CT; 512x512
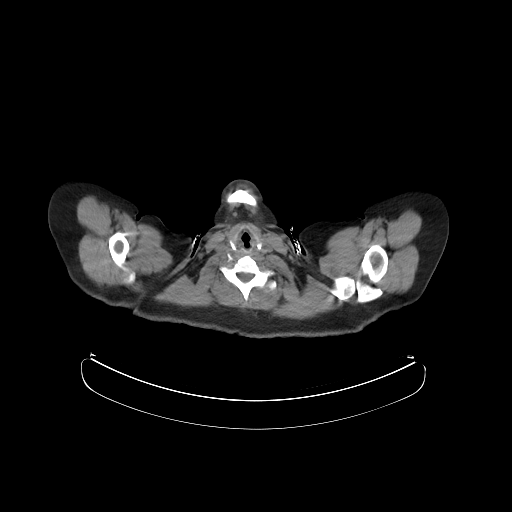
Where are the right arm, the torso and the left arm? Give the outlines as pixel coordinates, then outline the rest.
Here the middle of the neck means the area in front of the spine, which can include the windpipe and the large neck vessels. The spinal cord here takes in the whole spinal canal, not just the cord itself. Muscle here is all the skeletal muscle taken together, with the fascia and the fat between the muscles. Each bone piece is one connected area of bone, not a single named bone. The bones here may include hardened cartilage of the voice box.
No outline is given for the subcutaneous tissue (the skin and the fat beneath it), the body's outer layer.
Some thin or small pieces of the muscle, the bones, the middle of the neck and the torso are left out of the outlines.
The right arm is outlined by [[75,177],[93,179],[127,197],[137,205],[139,209],[138,218],[146,214],[154,214],[173,230],[183,230],[193,236],[187,252],[174,269],[142,292],[135,299],[129,311],[120,307],[107,306],[80,291],[68,276],[50,233],[47,221],[48,199],[57,186]]. The torso appears in 2 outlined pieces: piece 1: [[296,236],[296,244],[301,256],[320,275],[334,280],[343,280],[357,283],[366,289],[396,301],[403,308],[387,313],[360,332],[353,334],[330,337],[251,338],[264,334],[273,329],[285,317],[295,300],[297,290],[297,262],[293,241],[290,237],[292,238]]; piece 2: [[197,234],[200,235],[194,244],[191,258],[191,304],[194,314],[206,326],[213,330],[200,329],[191,327],[185,324],[153,322],[142,318],[134,317],[130,313],[130,311],[136,299],[160,279],[169,275],[175,269],[188,252],[191,244],[193,242],[194,237]]. The left arm is outlined by [[409,189],[425,189],[433,192],[444,202],[449,215],[449,234],[444,251],[423,294],[412,304],[404,307],[396,300],[366,288],[357,282],[324,276],[302,256],[298,248],[297,237],[299,232],[307,225],[319,220],[341,220],[350,216],[361,217],[370,204]]. The muscle appears in 2 outlined pieces: piece 1: [[240,183],[258,197],[265,215],[263,224],[280,234],[295,257],[330,285],[319,270],[318,259],[331,235],[412,207],[421,215],[422,224],[417,236],[418,268],[411,287],[379,299],[383,290],[377,285],[387,273],[389,258],[382,245],[372,243],[363,253],[356,277],[335,276],[328,289],[340,302],[356,295],[361,306],[348,305],[298,320],[246,314],[236,308],[181,307],[154,301],[197,256],[207,238],[227,226],[224,198]] with holes at [[242,225],[251,228],[270,246],[271,252],[251,256],[261,269],[272,270],[274,274],[268,279],[276,281],[272,290],[266,285],[253,287],[246,302],[240,290],[219,269],[221,266],[230,267],[241,256],[231,253],[232,259],[228,261],[229,251],[214,250]] and at [[236,189],[245,189],[247,190],[251,194],[255,196],[256,198],[256,200],[257,201],[257,204],[256,206],[253,206],[247,203],[242,203],[241,202],[233,202],[232,203],[228,203],[226,201],[226,196],[229,193],[231,193],[233,192]]; piece 2: [[89,194],[103,201],[115,204],[122,211],[128,213],[136,222],[151,225],[163,235],[167,249],[174,258],[174,265],[161,278],[147,285],[141,293],[122,289],[104,291],[92,282],[83,272],[78,258],[78,238],[80,233],[76,218],[76,204],[81,197]] with holes at [[116,231],[120,231],[122,233],[123,233],[126,237],[128,241],[128,243],[129,244],[129,253],[126,257],[126,259],[124,262],[124,267],[122,269],[122,270],[114,263],[111,257],[111,255],[109,251],[109,246],[108,245],[108,239],[109,237]] and at [[131,271],[133,271],[136,274],[136,279],[135,280],[135,282],[134,283],[133,283],[132,284],[131,284],[130,285],[126,285],[124,283],[123,283],[123,279],[124,279],[128,275],[128,274]]. The bones appear in 5 outlined pieces: piece 1: [[372,244],[379,244],[387,253],[388,260],[386,273],[376,285],[382,290],[382,294],[378,298],[365,303],[358,303],[356,300],[356,294],[347,300],[340,301],[329,291],[329,289],[333,287],[333,278],[349,276],[355,279],[360,269],[360,263],[364,253]]; piece 2: [[244,255],[251,256],[261,269],[272,270],[274,274],[268,279],[273,279],[276,281],[276,286],[272,290],[269,289],[266,285],[263,287],[253,287],[249,292],[248,299],[246,302],[240,290],[235,285],[229,282],[219,269],[221,266],[230,267],[238,258]]; inner edge: [[241,272],[242,272],[243,273],[250,273],[251,274],[252,274],[253,275],[253,276],[249,280],[248,280],[247,281],[243,281],[242,280],[241,280],[238,277],[238,276],[237,275],[237,273],[240,273]]; piece 3: [[116,231],[120,231],[122,233],[123,233],[126,237],[128,241],[128,243],[129,244],[129,253],[126,257],[126,259],[124,262],[124,267],[122,269],[122,270],[114,263],[111,257],[111,255],[109,251],[109,246],[108,245],[108,239],[109,237]]; piece 4: [[236,189],[245,189],[247,190],[251,194],[255,196],[256,198],[256,200],[257,201],[257,204],[256,206],[253,206],[247,203],[242,203],[241,202],[233,202],[232,203],[228,203],[226,201],[226,196],[229,193],[231,193],[233,192]]; piece 5: [[131,271],[133,271],[136,274],[136,279],[135,280],[135,282],[134,283],[133,283],[132,284],[131,284],[130,285],[126,285],[124,283],[123,283],[123,279],[124,279],[128,275],[128,274]]. The middle of the neck is outlined by [[244,226],[251,228],[255,232],[254,237],[256,240],[256,247],[258,250],[262,248],[262,240],[270,246],[271,252],[258,253],[254,255],[244,254],[241,256],[235,256],[226,250],[221,252],[217,252],[214,250],[214,248],[217,245],[231,237],[238,228]] with a hole at [[235,234],[236,234],[236,237],[235,238],[235,239],[234,240],[234,244],[235,245],[235,249],[234,250],[233,250],[232,249],[232,248],[231,247],[231,246],[230,245],[230,244],[229,243],[229,240],[231,238],[232,238],[233,237],[233,236]]. The spinal cord is outlined by [[241,272],[242,272],[243,273],[250,273],[251,274],[252,274],[253,275],[253,276],[249,280],[248,280],[247,281],[243,281],[242,280],[241,280],[238,277],[238,276],[237,275],[237,273],[240,273]]. The head and neck is outlined by [[238,178],[248,179],[259,188],[265,203],[273,211],[279,225],[292,241],[296,262],[295,297],[287,313],[273,328],[264,333],[250,337],[215,331],[195,314],[192,304],[192,258],[195,244],[199,237],[213,224],[212,219],[219,204],[220,192],[226,184]].